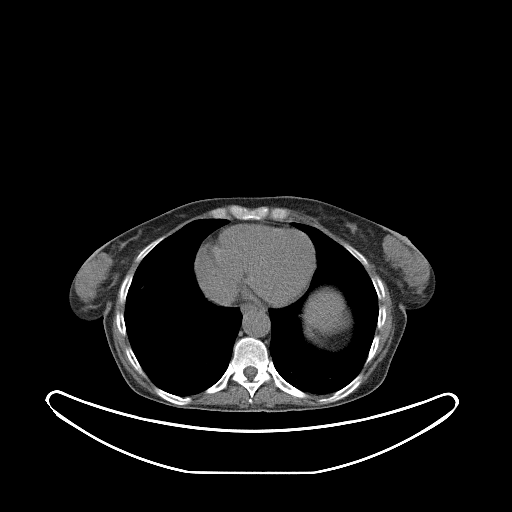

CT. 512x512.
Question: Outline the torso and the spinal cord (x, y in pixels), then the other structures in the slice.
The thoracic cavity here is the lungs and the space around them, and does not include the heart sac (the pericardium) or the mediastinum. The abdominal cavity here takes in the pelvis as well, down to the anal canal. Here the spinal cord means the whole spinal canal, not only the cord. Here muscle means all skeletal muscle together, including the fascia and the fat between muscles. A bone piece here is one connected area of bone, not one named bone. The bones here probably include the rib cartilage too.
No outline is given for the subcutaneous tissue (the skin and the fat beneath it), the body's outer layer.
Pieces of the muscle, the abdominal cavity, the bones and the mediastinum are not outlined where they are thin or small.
Answer: Outlines:
torso: [[264,196],[313,198],[356,213],[406,236],[430,263],[435,275],[434,293],[426,305],[406,312],[405,329],[385,379],[353,401],[300,411],[182,409],[139,395],[118,369],[102,318],[86,321],[73,313],[69,288],[76,272],[107,241],[177,206],[206,198]]
spinal cord: [[248,366],[252,366],[253,367],[254,367],[256,369],[256,373],[255,374],[255,375],[251,379],[249,379],[245,375],[245,374],[244,373],[244,369],[246,367],[247,367]]
mediastinum 1: [[246,304],[257,304],[265,306],[268,308],[269,307],[268,313],[270,320],[270,340],[269,341],[268,349],[267,346],[263,341],[252,336],[243,336],[236,340],[242,321],[242,314],[240,311],[240,309],[238,307],[224,306],[237,306],[238,305],[245,305]]
mediastinum 2: [[216,229],[217,229],[216,230],[215,230],[200,245],[200,244],[201,243],[201,242],[210,233],[211,233],[214,230],[215,230]]
abdominal cavity: [[322,284],[333,284],[337,286],[343,292],[353,314],[354,318],[353,337],[350,343],[345,348],[340,351],[331,352],[318,349],[308,343],[304,339],[302,334],[301,324],[299,319],[299,314],[301,311],[302,306],[310,292],[316,287]]
pericardium: [[239,221],[259,221],[287,225],[300,230],[309,237],[315,250],[315,268],[313,270],[305,291],[293,302],[281,307],[269,306],[268,307],[257,303],[222,305],[210,301],[209,299],[206,298],[198,284],[194,271],[194,261],[198,249],[215,231],[224,226]]
bones 1: [[243,337],[252,337],[263,342],[277,372],[287,382],[307,393],[307,397],[301,398],[285,392],[276,387],[271,380],[264,382],[257,388],[251,403],[248,390],[232,380],[225,388],[213,393],[206,393],[205,390],[214,384],[226,370],[232,358],[235,342]], around a hole outlined by [[248,366],[252,366],[253,367],[254,367],[256,369],[256,373],[255,374],[255,375],[251,379],[249,379],[245,375],[245,374],[244,373],[244,369],[246,367],[247,367]]
bones 2: [[232,204],[245,207],[248,209],[253,209],[261,206],[267,206],[270,209],[280,207],[284,208],[289,214],[284,220],[276,220],[268,217],[263,219],[239,219],[235,217],[230,217],[227,219],[213,218],[210,215],[210,211],[212,209],[219,207],[227,208]]
bones 3: [[360,372],[362,372],[362,379],[361,380],[361,382],[360,384],[351,393],[350,393],[348,395],[341,399],[339,399],[336,401],[334,401],[330,403],[320,403],[318,401],[319,399],[323,398],[324,397],[328,397],[334,392],[344,387],[347,384],[348,384]]
bones 4: [[154,386],[156,386],[169,393],[171,393],[172,394],[174,394],[178,396],[181,396],[182,397],[189,396],[191,398],[191,401],[189,403],[187,404],[185,404],[184,405],[178,405],[177,404],[172,403],[160,397],[158,395],[157,395],[154,391]]
bones 5: [[129,273],[133,273],[133,276],[132,277],[132,279],[131,280],[131,283],[129,286],[129,288],[128,289],[128,291],[126,295],[125,302],[124,304],[122,304],[120,302],[120,300],[119,299],[119,292],[120,291],[120,286],[122,283],[122,281],[124,277]]
bones 6: [[127,346],[130,346],[131,347],[131,348],[132,349],[132,350],[133,351],[138,362],[140,364],[143,371],[146,374],[146,377],[144,377],[143,376],[142,376],[133,367],[133,366],[130,363],[130,362],[127,357],[127,355],[125,352],[125,348]]
bones 7: [[160,236],[164,236],[165,237],[165,238],[164,238],[160,242],[159,242],[150,251],[149,251],[148,252],[148,253],[139,262],[139,263],[136,262],[135,261],[135,259],[136,258],[137,255],[140,252],[140,251],[144,247],[145,247],[152,241],[155,240]]
bones 8: [[343,243],[345,243],[346,244],[349,244],[351,246],[352,246],[355,249],[356,249],[360,253],[361,253],[365,257],[365,258],[367,260],[367,261],[368,262],[368,266],[367,267],[364,267],[364,266],[351,253],[350,253],[342,245],[342,244]]
bones 9: [[371,276],[377,276],[379,277],[382,282],[382,285],[383,286],[383,289],[384,290],[384,294],[385,295],[384,296],[384,298],[381,300],[379,300],[378,299],[378,297],[377,296],[377,293],[375,290],[375,288],[373,285],[373,283],[370,277]]
bones 10: [[375,334],[379,336],[378,345],[377,346],[376,351],[374,354],[374,356],[372,358],[372,359],[366,365],[365,365],[364,364],[367,358],[367,356],[368,355],[368,353],[369,352],[369,350],[370,349],[370,347],[371,346],[371,344],[372,343],[372,341]]
bones 11: [[118,311],[120,311],[121,312],[123,312],[123,317],[124,318],[124,323],[125,324],[125,329],[126,330],[126,335],[125,336],[124,336],[123,335],[122,335],[120,333],[120,332],[119,331],[119,330],[117,327],[117,323],[116,322],[116,313]]
bones 12: [[380,305],[384,305],[385,306],[385,310],[386,311],[386,316],[385,317],[385,320],[384,321],[384,323],[383,324],[383,325],[381,327],[381,328],[380,329],[378,329],[377,328],[377,320],[378,319],[378,312],[379,311],[379,306]]
muscle 1: [[230,381],[247,390],[250,404],[258,388],[271,381],[276,388],[301,399],[307,398],[308,393],[331,394],[317,400],[320,404],[325,404],[321,405],[269,407],[250,404],[240,407],[188,404],[192,401],[191,395],[203,391],[206,394],[216,393],[225,389]]
muscle 2: [[382,280],[388,288],[392,302],[393,336],[383,359],[366,381],[360,385],[363,379],[361,370],[373,359],[379,345],[380,336],[375,333],[376,328],[378,330],[382,328],[387,316],[386,306],[384,304],[379,305],[379,301],[383,300],[386,295]]
muscle 3: [[119,288],[118,299],[124,305],[124,310],[118,310],[115,313],[115,322],[119,333],[124,337],[127,336],[129,342],[129,345],[124,348],[124,352],[132,367],[142,377],[147,376],[155,385],[153,386],[155,394],[142,387],[127,371],[115,347],[112,321]]
muscle 4: [[285,208],[291,209],[295,211],[298,211],[303,214],[309,215],[312,217],[316,218],[324,227],[348,243],[343,242],[341,245],[316,227],[315,225],[311,225],[310,224],[308,224],[304,222],[301,222],[300,221],[297,221],[296,220],[286,219],[290,214]]
muscle 5: [[209,210],[210,210],[209,211],[209,215],[210,217],[194,219],[186,223],[180,228],[179,228],[168,236],[166,237],[164,235],[162,235],[167,232],[170,229],[173,228],[179,223],[182,222],[184,220],[190,217],[192,217],[195,215],[201,214]]
muscle 6: [[368,260],[370,262],[371,262],[374,265],[374,266],[376,269],[376,271],[377,272],[377,273],[379,275],[379,276],[378,276],[377,275],[371,275],[370,276],[368,274],[368,273],[367,272],[367,271],[365,268],[367,268],[369,266],[369,262],[368,261]]
muscle 7: [[136,255],[136,256],[134,259],[134,261],[136,263],[137,263],[138,264],[138,265],[137,266],[137,267],[135,269],[135,271],[134,272],[129,272],[126,274],[126,273],[127,272],[127,271],[128,270],[131,263],[133,261],[133,259],[134,258],[134,257]]
thoracic cavity 1: [[207,218],[226,219],[228,222],[214,229],[200,242],[193,261],[194,275],[207,300],[219,306],[238,308],[241,321],[232,347],[231,358],[221,376],[204,390],[182,396],[157,386],[144,371],[127,335],[124,317],[125,303],[134,273],[149,252],[186,224]]
thoracic cavity 2: [[293,222],[300,222],[317,228],[351,254],[365,269],[378,300],[376,327],[364,363],[360,371],[348,383],[332,393],[310,393],[293,385],[278,372],[269,355],[271,340],[269,309],[285,307],[297,300],[307,290],[317,266],[314,244],[305,232],[292,225]], around a hole outlined by [[322,284],[333,284],[337,286],[343,292],[353,314],[354,318],[353,337],[350,343],[345,348],[340,351],[331,352],[318,349],[308,343],[304,339],[302,334],[301,324],[299,319],[299,314],[301,311],[302,306],[310,292],[316,287]]